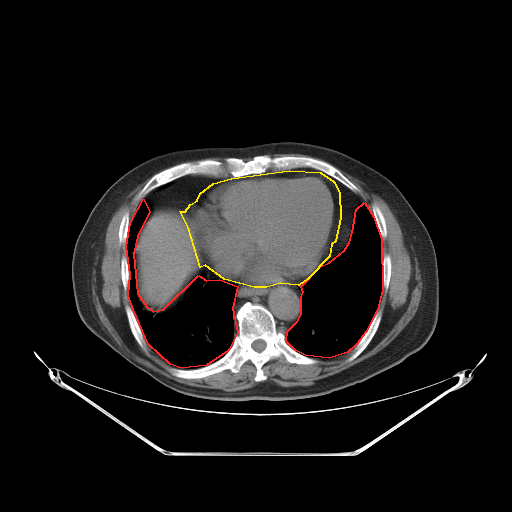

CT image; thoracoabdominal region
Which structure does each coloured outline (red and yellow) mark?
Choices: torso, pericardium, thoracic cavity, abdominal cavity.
red: thoracic cavity; yellow: pericardium.
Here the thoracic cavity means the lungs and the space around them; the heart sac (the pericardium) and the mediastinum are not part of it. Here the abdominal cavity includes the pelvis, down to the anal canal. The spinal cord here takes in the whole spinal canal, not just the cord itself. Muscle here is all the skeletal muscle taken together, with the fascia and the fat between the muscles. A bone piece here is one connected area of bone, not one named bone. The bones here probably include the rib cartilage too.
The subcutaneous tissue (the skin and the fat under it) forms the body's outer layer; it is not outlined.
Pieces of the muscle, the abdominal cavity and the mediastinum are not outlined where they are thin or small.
thoracic cavity 1: [[364,202],[373,216],[381,239],[382,289],[377,309],[365,332],[356,344],[347,352],[329,358],[305,355],[295,350],[286,341],[287,331],[297,321],[301,314],[301,296],[303,292],[301,286],[320,266],[329,262],[344,250],[349,242],[352,232],[356,209]]
thoracic cavity 2: [[143,199],[149,211],[137,236],[133,254],[137,293],[146,306],[153,311],[163,309],[198,275],[206,280],[219,279],[237,286],[232,308],[237,332],[228,350],[206,365],[181,368],[170,364],[148,344],[133,309],[128,295],[130,274],[126,246],[130,223]]
pericardium: [[289,170],[320,172],[333,181],[339,192],[340,217],[335,241],[331,244],[329,256],[307,279],[298,285],[280,283],[266,287],[254,287],[224,279],[205,265],[200,267],[188,227],[180,211],[185,211],[190,204],[197,200],[200,193],[213,183],[231,178]]
mediastinum 1: [[231,282],[245,284],[254,288],[266,288],[280,284],[291,286],[298,286],[301,284],[301,310],[299,317],[286,332],[286,330],[282,326],[277,326],[273,314],[265,306],[250,301],[245,301],[236,310],[234,316],[233,308],[237,298],[238,286],[236,283]]
mediastinum 2: [[187,175],[207,175],[214,177],[231,176],[232,177],[211,183],[199,193],[196,197],[196,200],[190,203],[185,210],[178,209],[177,207],[174,207],[171,205],[160,205],[153,209],[150,209],[150,206],[148,202],[144,199],[150,192],[160,186]]
mediastinum 3: [[330,177],[335,179],[348,189],[357,194],[363,202],[361,202],[355,209],[351,229],[345,235],[345,244],[343,250],[339,254],[330,259],[329,261],[322,264],[330,256],[332,251],[332,244],[336,241],[342,209],[341,208],[342,207],[340,192],[336,184]]
mediastinum 4: [[202,266],[205,266],[208,269],[209,269],[209,270],[211,271],[211,272],[213,273],[216,276],[223,279],[220,279],[219,278],[213,278],[212,279],[206,279],[206,278],[203,275],[201,274],[198,274],[198,272],[200,271],[200,268]]
spinal cord: [[258,339],[261,339],[262,340],[263,340],[265,342],[265,343],[266,344],[266,345],[265,346],[265,347],[264,348],[264,349],[263,350],[262,350],[261,351],[260,351],[259,352],[258,351],[256,351],[252,347],[252,343],[255,340],[257,340]]
bones 1: [[245,302],[265,307],[276,326],[285,330],[287,344],[316,363],[289,363],[282,355],[274,357],[261,367],[267,377],[262,381],[254,379],[257,370],[250,360],[238,372],[225,369],[193,379],[168,370],[195,369],[221,358],[233,344],[238,332],[235,315]]; inner edge: [[258,339],[261,339],[262,340],[263,340],[265,342],[265,343],[266,344],[266,345],[265,346],[265,347],[264,348],[264,349],[263,350],[262,350],[261,351],[260,351],[259,352],[258,351],[256,351],[252,347],[252,343],[255,340],[257,340]]
bones 2: [[265,154],[270,157],[310,156],[323,160],[339,169],[359,189],[357,193],[320,170],[311,167],[295,167],[236,177],[187,174],[156,187],[141,199],[136,198],[154,174],[176,164],[182,162],[196,163],[203,159],[223,161],[227,157],[249,161],[255,156]]
bones 3: [[377,310],[380,310],[381,311],[381,319],[380,320],[379,325],[377,328],[377,330],[375,332],[373,337],[367,346],[359,355],[350,361],[346,361],[346,359],[350,355],[352,351],[352,349],[357,344],[357,343],[361,339],[363,335],[368,329]]
bones 4: [[126,305],[130,305],[134,312],[134,314],[137,319],[137,321],[142,331],[142,333],[144,336],[144,338],[147,343],[147,351],[145,351],[138,344],[131,332],[131,330],[130,329],[130,327],[128,323],[127,316],[126,315],[126,311],[125,310],[125,306]]
bones 5: [[374,202],[375,202],[380,208],[380,210],[382,212],[382,214],[385,220],[385,225],[386,226],[387,235],[384,239],[382,239],[380,236],[380,233],[379,232],[379,230],[378,229],[378,227],[377,226],[376,221],[371,211],[371,205],[372,203]]
bones 6: [[384,254],[388,254],[390,256],[390,259],[391,260],[391,273],[390,274],[390,279],[389,280],[389,284],[388,285],[388,288],[387,289],[387,291],[386,292],[385,292],[383,290],[383,289],[382,288],[382,268],[383,267],[383,255]]
bones 7: [[126,210],[128,210],[129,212],[130,222],[129,223],[129,225],[128,226],[128,230],[127,231],[127,236],[126,237],[126,245],[120,245],[119,243],[119,237],[118,236],[119,226],[120,225],[120,222],[121,221],[121,218],[123,215],[123,213]]
bones 8: [[123,256],[126,256],[126,260],[127,261],[127,267],[128,268],[128,273],[129,274],[129,282],[128,283],[128,287],[127,288],[127,291],[125,291],[124,290],[124,288],[123,287],[123,284],[122,283],[122,279],[121,278],[121,259],[122,258],[122,257]]
torso: [[275,141],[306,142],[335,149],[377,170],[401,191],[425,225],[436,253],[439,313],[435,329],[425,345],[402,362],[362,382],[327,394],[280,401],[225,401],[180,393],[131,364],[82,322],[71,279],[76,239],[108,187],[147,159],[179,149],[241,147]]
abdominal cavity: [[160,206],[171,206],[181,210],[179,211],[183,216],[191,244],[195,251],[195,255],[197,256],[197,261],[199,262],[199,271],[175,299],[166,303],[163,308],[153,310],[140,299],[138,293],[134,249],[142,226],[146,221],[148,212]]
muscle 1: [[341,170],[388,205],[407,250],[410,253],[413,246],[422,281],[419,305],[404,328],[375,354],[311,385],[282,386],[266,380],[262,367],[267,362],[282,356],[289,364],[313,365],[318,362],[316,358],[329,359],[351,350],[345,359],[350,362],[368,346],[382,319],[378,307],[382,290],[388,291],[392,273],[391,256],[383,254],[382,249],[382,240],[388,235],[386,220],[379,205],[374,201],[370,209],[358,194],[360,189]]
muscle 2: [[148,178],[135,197],[141,200],[133,217],[131,220],[126,209],[117,232],[119,245],[126,247],[126,255],[120,259],[120,278],[131,304],[126,304],[124,310],[132,336],[145,352],[148,345],[173,366],[167,370],[177,378],[201,379],[225,370],[235,374],[250,361],[256,370],[253,379],[258,382],[254,386],[226,391],[173,380],[133,359],[102,325],[92,297],[91,267],[95,255],[100,257],[103,253],[113,214],[129,193]]